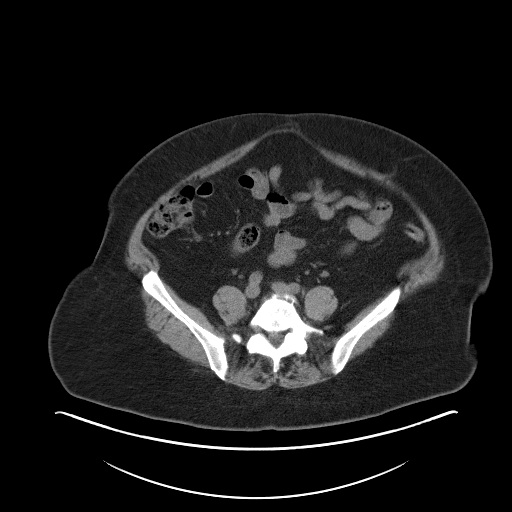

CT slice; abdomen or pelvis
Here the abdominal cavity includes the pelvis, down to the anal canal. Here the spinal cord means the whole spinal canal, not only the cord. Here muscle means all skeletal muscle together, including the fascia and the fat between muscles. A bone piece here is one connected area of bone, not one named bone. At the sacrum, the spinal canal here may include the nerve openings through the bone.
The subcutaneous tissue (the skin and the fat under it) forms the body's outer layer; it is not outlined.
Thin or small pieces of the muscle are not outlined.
{"abdominal_cavity":[{"outer":[[283,132],[399,194],[427,233],[425,253],[402,264],[397,284],[339,333],[304,321],[297,298],[277,291],[263,298],[247,324],[234,326],[248,314],[248,304],[229,284],[211,297],[226,325],[215,326],[160,275],[158,258],[142,241],[148,217],[180,186]],"hole":[[316,286],[327,286],[331,288],[333,291],[334,295],[337,298],[337,307],[335,309],[335,310],[327,318],[325,318],[321,321],[319,321],[318,322],[314,322],[310,318],[309,318],[306,315],[306,313],[304,310],[304,300],[305,299],[306,293],[310,289]]}],"torso":[[[311,111],[369,120],[412,138],[450,167],[476,199],[490,233],[493,272],[472,309],[470,337],[479,362],[469,382],[378,416],[297,430],[206,429],[67,393],[50,366],[49,322],[67,283],[98,249],[106,201],[118,180],[151,148],[194,125],[246,112]]],"muscle":[[[281,128],[297,130],[313,144],[345,155],[364,166],[386,174],[409,193],[436,229],[445,253],[443,270],[435,282],[422,287],[405,301],[383,335],[344,368],[362,336],[385,319],[397,306],[402,293],[397,273],[402,265],[426,253],[430,245],[428,233],[414,209],[399,193],[372,178],[360,176],[332,163],[294,132],[283,131],[268,135],[235,162],[205,177],[198,177],[180,185],[151,212],[141,233],[141,241],[159,262],[159,274],[156,269],[150,268],[142,275],[140,279],[142,288],[185,325],[201,345],[208,366],[217,377],[193,371],[189,363],[161,342],[148,328],[144,316],[144,303],[140,295],[140,280],[125,263],[124,246],[138,218],[175,182],[261,134]],{"outer":[[160,276],[215,327],[227,326],[212,302],[215,292],[224,285],[240,290],[246,300],[247,314],[231,325],[247,325],[253,331],[244,346],[249,354],[270,358],[274,374],[280,369],[282,358],[306,353],[307,339],[313,334],[323,336],[325,326],[331,326],[331,331],[339,334],[363,308],[391,288],[334,342],[329,356],[330,371],[335,376],[331,379],[299,388],[274,384],[252,390],[224,382],[229,368],[225,338],[186,313]],"hole":[[233,332],[236,332],[237,333],[238,333],[239,334],[240,334],[242,336],[242,341],[240,343],[237,343],[231,337],[231,334]]},[[316,286],[327,286],[331,288],[333,291],[334,295],[337,298],[337,307],[335,309],[335,310],[327,318],[325,318],[321,321],[319,321],[318,322],[314,322],[310,318],[309,318],[306,315],[306,313],[304,310],[304,300],[305,299],[306,293],[310,289]]],"spinal_cord":[[[273,333],[283,333],[283,338],[282,339],[282,340],[281,341],[281,342],[277,346],[275,346],[273,344],[272,344],[272,343],[270,341],[270,340],[269,339],[269,336],[271,334],[272,334]]],"bones":[{"outer":[[274,292],[293,295],[297,300],[296,309],[303,321],[322,329],[324,332],[323,335],[313,333],[306,339],[307,350],[304,354],[293,353],[282,357],[276,373],[273,372],[273,361],[270,357],[249,353],[245,346],[254,331],[248,325],[249,321],[264,298]],"hole":[[273,333],[283,333],[283,338],[282,339],[282,340],[281,341],[281,342],[277,346],[275,346],[273,344],[272,344],[272,343],[270,341],[270,340],[269,339],[269,336],[271,334],[272,334]]},[[150,269],[154,269],[158,272],[166,290],[177,305],[186,314],[202,327],[216,335],[224,338],[225,340],[224,341],[224,350],[228,362],[226,381],[221,380],[210,368],[202,345],[186,325],[175,317],[157,300],[145,291],[141,284],[141,279],[143,275]],[[396,285],[399,285],[400,286],[401,288],[401,293],[399,297],[399,300],[394,309],[385,318],[378,322],[361,336],[355,344],[343,369],[339,373],[336,375],[334,375],[331,371],[330,356],[332,349],[337,339],[343,333],[349,330],[366,315],[375,305]],[[233,332],[236,332],[237,333],[238,333],[239,334],[240,334],[242,336],[242,341],[240,343],[237,343],[231,337],[231,334]]]}